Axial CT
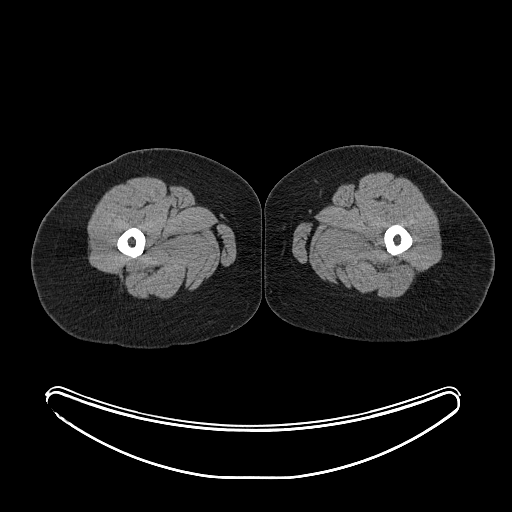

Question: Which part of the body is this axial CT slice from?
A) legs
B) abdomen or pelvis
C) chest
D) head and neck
Answer: A) legs
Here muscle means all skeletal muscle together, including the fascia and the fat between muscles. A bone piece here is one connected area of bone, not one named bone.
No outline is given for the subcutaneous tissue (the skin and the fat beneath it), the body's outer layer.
Outlines (x, y in pixels):
muscle 1: (375, 171) (393, 171) (409, 176) (416, 180) (426, 192) (437, 212) (443, 237) (441, 259) (434, 267) (425, 271) (412, 289) (399, 300) (381, 302) (345, 295) (318, 293) (309, 288) (299, 277) (289, 254) (289, 240) (296, 226) (306, 218) (317, 202) (330, 194) (339, 185), around a hole outlined by (397, 223) (401, 224) (408, 231) (408, 232) (410, 234) (412, 238) (412, 244) (409, 248) (408, 248) (400, 254) (398, 254) (397, 255) (392, 255) (387, 251) (385, 247) (385, 244) (384, 243) (383, 236) (384, 235) (385, 231) (389, 226) (393, 224) (396, 224)
muscle 2: (137, 175) (155, 175) (168, 181) (183, 184) (226, 216) (238, 240) (238, 253) (233, 264) (217, 274) (201, 289) (182, 299) (156, 303) (139, 302) (129, 299) (121, 294) (108, 278) (102, 272) (91, 266) (88, 261) (87, 223) (95, 205) (103, 194) (112, 186) (130, 176); inner edge: (130, 227) (137, 227) (142, 231) (142, 232) (145, 236) (145, 245) (144, 246) (144, 249) (143, 250) (143, 252) (140, 255) (134, 258) (132, 257) (130, 257) (122, 253) (117, 248) (117, 246) (116, 245) (117, 243) (117, 240) (119, 236) (124, 231) (125, 231)
right leg: (152, 147) (177, 148) (206, 156) (239, 174) (252, 187) (262, 207) (264, 295) (261, 296) (253, 316) (242, 326) (227, 334) (195, 344) (176, 345) (165, 349) (133, 349) (79, 340) (58, 327) (44, 311) (38, 299) (30, 267) (36, 231) (52, 205) (86, 172) (125, 152)
bones 1: (397, 223) (401, 224) (408, 231) (408, 232) (410, 234) (412, 238) (412, 244) (409, 248) (408, 248) (400, 254) (398, 254) (397, 255) (392, 255) (387, 251) (385, 247) (385, 244) (384, 243) (383, 236) (384, 235) (385, 231) (389, 226) (393, 224) (396, 224)
bones 2: (130, 227) (137, 227) (142, 231) (142, 232) (145, 236) (145, 245) (144, 246) (144, 249) (143, 250) (143, 252) (140, 255) (134, 258) (132, 257) (130, 257) (122, 253) (117, 248) (117, 246) (116, 245) (117, 243) (117, 240) (119, 236) (124, 231) (125, 231)
left leg: (352, 144) (387, 146) (416, 156) (437, 172) (471, 206) (484, 223) (490, 235) (495, 255) (493, 278) (479, 310) (456, 331) (438, 338) (415, 342) (380, 343) (357, 341) (293, 326) (278, 317) (267, 304) (265, 298) (262, 211) (270, 190) (285, 174) (313, 156) (335, 147)